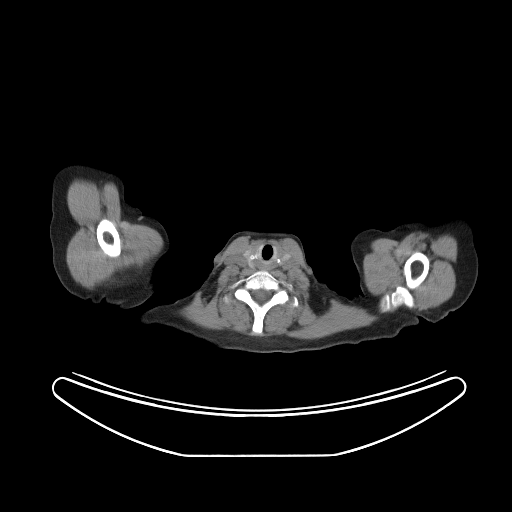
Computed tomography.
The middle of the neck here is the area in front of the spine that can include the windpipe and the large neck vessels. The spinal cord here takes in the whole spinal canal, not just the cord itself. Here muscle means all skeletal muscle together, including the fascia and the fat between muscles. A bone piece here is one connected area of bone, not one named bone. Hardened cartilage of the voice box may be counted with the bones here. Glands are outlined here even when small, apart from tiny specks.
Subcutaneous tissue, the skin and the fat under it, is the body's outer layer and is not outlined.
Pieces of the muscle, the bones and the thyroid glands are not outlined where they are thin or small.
Outlines:
torso: 244,230 294,234 301,240 307,262 319,281 347,298 362,290 415,316 419,323 403,329 393,338 293,353 258,353 224,349 171,327 140,323 138,316 144,311 161,304 172,303 198,288 210,272 214,256 234,233
spinal cord: 259,289 263,289 264,290 267,290 268,291 269,290 270,291 272,291 272,294 271,295 271,296 269,298 269,299 268,299 263,303 259,303 258,302 257,302 253,298 253,297 251,295 251,291 252,290 258,290
thyroid glands 1: 249,248 251,248 252,249 252,250 251,251 251,253 249,255 249,256 248,257 248,259 247,259 245,257 245,256 244,255 244,252 247,249 248,249
thyroid glands 2: 288,253 289,253 289,257 288,257 286,259 286,260 284,262 283,262 282,263 281,263 281,257 282,257 285,254 287,254
bones 1: 257,270 266,270 280,282 292,284 293,290 288,294 298,299 296,307 291,306 288,302 272,306 264,315 263,329 259,335 252,332 254,317 251,308 245,302 238,300 234,296 234,289 230,288 230,285 with a hole at 259,289 263,289 264,290 267,290 268,291 269,290 270,291 272,291 272,294 271,295 271,296 269,298 269,299 268,299 263,303 259,303 258,302 257,302 253,298 253,297 251,295 251,291 252,290 258,290
bones 2: 415,251 422,252 428,257 429,269 423,281 416,288 410,291 413,296 414,307 410,309 405,306 401,306 388,312 381,313 378,310 378,301 380,297 385,293 391,293 398,285 405,284 403,266 406,260
bones 3: 103,218 106,218 112,221 114,223 116,227 116,229 119,234 121,251 120,252 120,254 116,257 110,257 106,255 103,252 102,249 100,247 98,243 98,241 97,240 97,236 96,235 96,228 100,220 101,220
muscle 1: 413,231 428,232 433,237 450,233 458,241 456,286 452,296 436,307 411,309 415,307 411,291 430,269 429,257 415,250 402,266 404,284 383,293 377,301 381,314 401,307 409,309 325,337 306,340 209,330 175,313 196,295 213,291 218,258 234,239 244,235 292,238 301,249 313,292 347,304 365,305 370,295 364,282 363,258 370,241 399,241, around holes outlined by 267,242 298,261 286,270 268,271 280,282 292,284 288,294 298,299 298,305 293,307 287,302 272,306 264,315 262,333 256,335 252,332 251,308 234,296 230,285 257,270 239,265 237,254 and by 227,294 228,294 229,295 230,295 230,296 230,297 230,298 230,299 229,300 229,301 228,302 227,302 226,302 225,301 224,300 224,299 224,298 224,297 224,296 225,295 226,295
muscle 2: 76,176 89,178 96,182 100,180 113,181 118,188 122,216 131,222 147,225 159,232 164,242 163,248 140,272 117,283 107,286 98,286 92,290 74,281 66,263 66,247 75,225 68,209 66,191 69,182 with a hole at 103,218 106,218 112,221 114,223 116,227 116,229 119,234 121,251 120,252 120,254 116,257 110,257 106,255 103,252 102,249 100,247 98,243 98,241 97,240 97,236 96,235 96,228 100,220 101,220
left arm: 453,217 463,218 470,224 478,256 477,280 471,294 462,306 451,311 443,319 433,323 423,318 419,319 415,315 360,289 358,274 349,249 352,239 359,232 369,228 387,231 401,223 415,220 432,225
right arm: 71,163 86,163 118,174 124,184 125,201 139,208 144,215 159,221 167,232 170,245 155,266 155,291 137,306 120,309 104,300 94,304 90,300 81,299 68,292 55,273 49,237 52,181 62,167
middle of the neck: 267,242 277,246 286,253 280,258 276,258 277,263 282,264 288,258 294,256 298,261 297,264 286,270 280,268 269,270 254,269 239,265 236,261 237,254 240,253 251,261 258,256 252,253 253,248 258,244